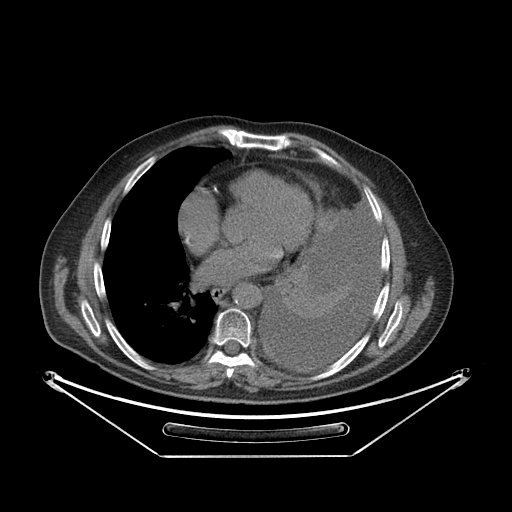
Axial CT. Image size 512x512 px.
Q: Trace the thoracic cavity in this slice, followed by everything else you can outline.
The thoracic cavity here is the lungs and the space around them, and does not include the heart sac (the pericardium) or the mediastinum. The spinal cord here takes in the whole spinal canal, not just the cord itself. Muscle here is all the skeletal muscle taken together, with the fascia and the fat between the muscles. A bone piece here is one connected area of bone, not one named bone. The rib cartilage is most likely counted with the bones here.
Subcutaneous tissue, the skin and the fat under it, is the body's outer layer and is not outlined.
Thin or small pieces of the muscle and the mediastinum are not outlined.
A: Outlines (x, y in pixels):
thoracic cavity 1: 188 145; 223 149; 231 153; 231 157; 215 163; 201 176; 181 202; 177 213; 177 230; 189 276; 200 292; 209 292; 216 312; 205 350; 179 363; 155 362; 136 351; 115 325; 102 266; 109 244; 112 220; 123 198; 158 160
thoracic cavity 2: 262 157; 303 164; 321 162; 343 173; 361 190; 380 233; 381 288; 371 317; 357 341; 323 370; 296 373; 282 369; 262 355; 253 335; 252 324; 264 307; 268 289; 304 263; 320 242; 324 223; 319 194; 307 179; 291 165; 255 160
mediastinum 1: 184 246; 193 274; 208 284; 223 285; 230 284; 238 280; 275 280; 275 283; 267 289; 263 307; 255 323; 252 323; 248 315; 243 310; 234 306; 221 310; 216 314; 217 306; 210 292; 208 290; 200 291; 200 289; 192 281
mediastinum 2: 205 142; 224 142; 237 148; 258 148; 269 151; 301 150; 313 153; 321 161; 303 163; 295 162; 288 158; 262 156; 245 164; 224 168; 215 173; 212 173; 206 176; 195 187; 202 176; 212 166; 232 157; 232 153; 228 149; 196 145
bones 1: 232 307; 243 311; 249 318; 252 327; 252 335; 256 339; 254 352; 260 363; 256 367; 247 364; 237 365; 233 368; 232 375; 227 377; 227 367; 224 364; 213 362; 207 365; 204 356; 209 346; 208 337; 214 330; 214 319; 216 315; inner edge: 230 340; 233 340; 234 341; 236 341; 240 345; 240 350; 239 351; 239 352; 237 354; 235 354; 234 355; 229 355; 228 354; 227 354; 224 351; 224 350; 223 349; 223 346; 228 341; 229 341
bones 2: 223 128; 233 128; 237 130; 245 130; 248 132; 265 135; 285 134; 292 141; 292 144; 285 149; 280 149; 279 150; 269 150; 265 148; 259 148; 258 147; 251 147; 250 148; 237 147; 231 145; 224 137; 218 133; 218 130
bones 3: 367 332; 370 333; 370 336; 364 347; 361 350; 361 351; 345 367; 328 377; 325 377; 324 378; 318 379; 317 380; 310 380; 309 379; 309 377; 325 370; 328 367; 328 366; 339 359; 346 352; 347 352; 365 333
bones 4: 105 317; 107 317; 114 324; 125 341; 136 352; 146 359; 151 364; 154 365; 156 367; 156 369; 154 369; 153 370; 148 370; 147 369; 145 369; 133 362; 122 352; 122 351; 117 346; 113 340; 107 329; 107 327; 104 321; 104 318
bones 5: 398 299; 401 299; 402 300; 402 305; 403 306; 403 308; 402 309; 402 316; 400 319; 399 323; 390 334; 386 343; 382 347; 379 347; 378 346; 378 339; 384 330; 386 326; 386 324; 388 321; 388 319; 391 313; 393 311; 395 303
bones 6: 153 155; 156 155; 157 156; 157 160; 138 179; 138 180; 133 185; 133 186; 130 189; 130 190; 124 196; 122 196; 122 192; 124 189; 125 184; 127 180; 131 175; 132 172; 135 169; 135 168; 146 159; 147 159; 149 157
bones 7: 83 299; 86 299; 89 303; 89 304; 92 309; 93 314; 94 315; 94 316; 100 327; 100 335; 98 337; 96 337; 92 333; 91 330; 87 325; 87 324; 82 315; 82 312; 81 311; 81 305; 80 304; 81 303; 81 301
bones 8: 386 282; 388 282; 389 283; 389 291; 388 292; 388 296; 387 297; 387 300; 385 304; 385 307; 380 317; 377 321; 375 321; 372 316; 372 311; 373 310; 374 305; 376 302; 376 300; 378 297; 378 295; 383 285
bones 9: 95 261; 97 261; 101 266; 102 275; 103 276; 103 283; 104 284; 105 293; 106 294; 106 297; 107 298; 107 299; 105 300; 104 299; 103 300; 101 300; 99 298; 95 289; 94 278; 93 277; 93 265
bones 10: 363 185; 366 185; 370 188; 370 189; 374 194; 378 202; 378 204; 381 210; 381 223; 380 224; 377 223; 376 221; 376 219; 374 217; 372 213; 371 208; 368 203; 368 201; 363 191
bones 11: 384 236; 386 236; 388 240; 388 244; 389 245; 389 257; 390 258; 389 260; 389 268; 388 269; 388 271; 386 272; 384 271; 382 271; 380 267; 380 265; 381 264; 381 244; 382 243; 382 239
bones 12: 311 146; 313 146; 314 147; 319 148; 321 150; 324 151; 326 153; 330 155; 334 159; 335 159; 341 166; 339 170; 331 166; 329 164; 325 162; 323 162; 318 157; 318 156; 316 154; 310 151; 309 148
bones 13: 108 217; 110 217; 111 218; 111 228; 110 229; 110 233; 109 234; 109 239; 108 240; 108 244; 107 245; 107 247; 105 251; 104 252; 102 252; 101 251; 101 247; 100 246; 101 235; 102 234; 102 230; 103 229; 104 222; 105 220
torso: 213 114; 322 125; 386 155; 406 173; 448 249; 454 273; 453 294; 444 323; 413 362; 377 383; 329 398; 281 404; 223 403; 172 396; 132 384; 61 347; 49 336; 39 303; 40 260; 50 231; 72 199; 101 163; 125 143; 178 120
muscle 1: 284 132; 317 139; 366 175; 400 230; 406 269; 411 274; 411 291; 421 287; 428 276; 433 277; 431 309; 403 347; 366 371; 322 386; 298 390; 262 387; 250 392; 225 381; 193 389; 160 382; 115 365; 95 352; 61 319; 54 304; 52 282; 56 259; 65 256; 75 267; 81 239; 93 215; 111 189; 134 168; 112 219; 108 216; 103 222; 99 241; 104 253; 102 265; 97 260; 92 265; 95 292; 101 301; 107 300; 113 320; 105 316; 104 324; 128 359; 153 371; 157 367; 148 360; 179 364; 206 350; 205 364; 224 365; 225 375; 230 378; 237 366; 256 368; 261 363; 255 352; 257 343; 261 355; 282 370; 296 374; 319 372; 309 376; 310 381; 328 378; 345 368; 370 339; 371 333; 364 332; 372 317; 375 322; 379 320; 389 296; 390 283; 386 281; 382 286; 382 272; 389 271; 391 259; 388 237; 382 238; 378 227; 382 223; 382 210; 371 188; 363 184; 362 191; 324 150; 313 145; 309 151; 286 149; 293 141; 280 133; inner edges: 398 299; 401 299; 402 300; 402 305; 403 306; 403 308; 402 309; 402 316; 400 319; 399 323; 390 334; 386 343; 382 347; 379 347; 378 346; 378 339; 384 330; 386 326; 386 324; 388 321; 388 319; 391 313; 393 311; 395 303, then 83 299; 86 299; 89 303; 89 304; 92 309; 93 314; 94 315; 94 316; 100 327; 100 335; 98 337; 96 337; 92 333; 91 330; 87 325; 87 324; 82 315; 82 312; 81 311; 81 305; 80 304; 81 303; 81 301
muscle 2: 220 124; 234 125; 242 129; 237 129; 233 127; 223 127; 218 129; 217 133; 224 138; 227 142; 205 141; 197 144; 184 145; 170 151; 159 159; 156 154; 153 154; 146 158; 138 165; 139 160; 145 154; 158 146; 190 132; 209 126
spinal cord: 230 340; 233 340; 234 341; 236 341; 240 345; 240 350; 239 351; 239 352; 237 354; 235 354; 234 355; 229 355; 228 354; 227 354; 224 351; 224 350; 223 349; 223 346; 228 341; 229 341
pericardium: 252 161; 266 161; 291 166; 315 189; 319 197; 323 220; 319 242; 301 265; 298 265; 277 279; 238 279; 223 284; 208 283; 195 275; 192 270; 186 247; 182 242; 178 230; 180 206; 186 197; 206 177; 224 169; 239 167